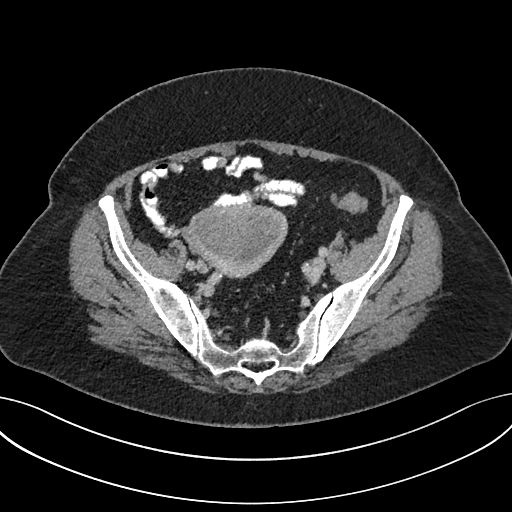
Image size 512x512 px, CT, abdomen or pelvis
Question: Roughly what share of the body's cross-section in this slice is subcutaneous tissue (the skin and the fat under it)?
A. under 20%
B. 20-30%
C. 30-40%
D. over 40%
Answer: D. over 40%
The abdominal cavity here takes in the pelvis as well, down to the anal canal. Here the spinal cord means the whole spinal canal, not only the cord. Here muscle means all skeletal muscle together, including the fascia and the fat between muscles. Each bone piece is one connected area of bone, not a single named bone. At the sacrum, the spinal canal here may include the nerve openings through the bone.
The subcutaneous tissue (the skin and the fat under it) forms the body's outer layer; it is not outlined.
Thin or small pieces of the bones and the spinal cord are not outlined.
Outlined structures:
bones: 106 194; 114 198; 135 258; 187 293; 214 332; 214 342; 227 350; 246 340; 291 349; 311 306; 375 261; 399 195; 414 203; 395 255; 324 358; 305 365; 303 373; 279 370; 257 385; 233 370; 214 376; 171 334; 113 250; 97 205; inner edge: 252 363; 257 363; 258 364; 259 363; 270 363; 270 365; 268 367; 267 367; 266 368; 264 368; 263 369; 260 369; 259 370; 254 370; 253 369; 252 369; 251 368; 250 368; 248 366; 248 365; 249 365; 250 364; 251 364
abdominal cavity: 245 144; 357 164; 381 183; 376 232; 360 242; 341 233; 332 239; 325 261; 339 284; 321 295; 281 342; 237 340; 213 331; 176 283; 185 271; 184 243; 173 239; 157 254; 133 237; 126 214; 133 178; 144 169; 207 152; 229 156
muscle: 244 138; 259 138; 260 139; 275 140; 279 142; 285 142; 286 143; 302 145; 306 147; 312 147; 316 149; 333 152; 341 155; 346 155; 352 158; 355 158; 373 164; 391 174; 410 193; 425 201; 435 213; 435 215; 440 225; 443 237; 442 239; 442 247; 441 248; 441 256; 442 257; 441 261; 442 262; 442 272; 443 273; 442 284; 436 301; 424 320; 417 328; 416 331; 407 340; 401 344; 392 347; 390 349; 384 350; 334 383; 311 392; 278 392; 269 394; 252 393; 249 395; 240 393; 216 393; 215 392; 211 393; 207 391; 203 391; 195 387; 192 387; 186 382; 178 380; 165 373; 146 366; 116 351; 111 349; 107 349; 98 344; 96 344; 92 341; 88 332; 85 302; 83 299; 74 292; 68 277; 69 276; 68 255; 69 254; 70 239; 72 235; 72 232; 76 224; 85 211; 99 196; 107 184; 112 179; 126 170; 158 156; 167 155; 177 151; 181 151; 192 147; 200 145; 205 145; 219 141; 228 141; 234 139; 243 139; inner edge: 245 144; 377 176; 376 232; 328 245; 339 284; 375 261; 399 195; 414 202; 395 255; 324 358; 260 385; 233 370; 214 376; 177 341; 118 259; 97 205; 112 195; 135 258; 176 283; 186 247; 173 239; 157 254; 133 237; 133 178
torso: 234 67; 283 68; 345 84; 395 111; 427 140; 511 274; 511 340; 501 353; 377 407; 271 427; 220 427; 150 415; 94 397; 5 357; 0 351; 0 267; 47 206; 48 180; 64 154; 94 121; 132 94; 172 78
spinal cord 1: 215 333; 220 333; 221 334; 223 334; 224 335; 227 335; 232 339; 233 339; 234 340; 236 340; 236 343; 235 344; 235 345; 233 347; 232 347; 229 349; 227 349; 223 346; 221 346; 220 345; 217 344; 214 340; 214 335; 215 334
spinal cord 2: 293 334; 294 334; 294 335; 295 336; 296 336; 296 337; 297 338; 297 341; 296 342; 296 343; 291 348; 290 348; 289 349; 282 349; 281 348; 280 348; 278 343; 281 343; 282 342; 285 341; 287 339; 288 339; 290 337; 291 337